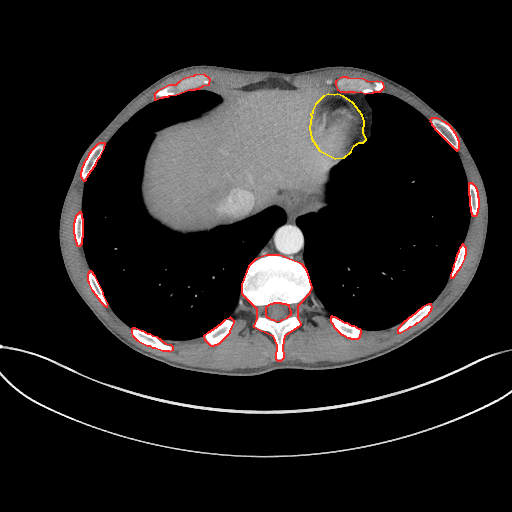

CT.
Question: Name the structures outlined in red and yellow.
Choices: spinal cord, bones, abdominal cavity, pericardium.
Answer: red: bones; yellow: pericardium.
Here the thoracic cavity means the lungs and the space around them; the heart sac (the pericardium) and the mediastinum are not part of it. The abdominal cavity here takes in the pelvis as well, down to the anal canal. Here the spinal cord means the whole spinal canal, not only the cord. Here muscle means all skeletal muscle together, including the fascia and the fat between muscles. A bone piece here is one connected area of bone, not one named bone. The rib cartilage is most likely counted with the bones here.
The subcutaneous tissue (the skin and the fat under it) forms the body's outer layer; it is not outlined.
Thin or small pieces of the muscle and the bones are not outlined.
The bones appear in 13 outlined pieces: piece 1: (277, 360) (281, 360) (284, 357) (283, 346) (285, 335) (301, 324) (298, 317) (298, 305) (310, 292) (312, 287) (307, 271) (302, 264) (279, 255) (266, 255) (255, 259) (248, 266) (241, 284) (241, 293) (256, 308) (256, 318) (253, 326) (272, 335) (276, 345) (275, 358), around a hole outlined by (276, 321) (281, 320) (282, 319) (287, 317) (290, 314) (291, 314) (291, 311) (290, 310) (289, 305) (287, 305) (286, 304) (282, 304) (281, 303) (273, 303) (272, 304) (270, 304) (265, 307) (265, 315) (267, 317) (268, 317) (271, 319) (273, 319); piece 2: (154, 99) (156, 99) (160, 97) (163, 97) (164, 96) (168, 96) (169, 95) (176, 94) (189, 89) (195, 89) (196, 88) (199, 88) (203, 85) (209, 84) (210, 79) (204, 74) (194, 75) (193, 76) (185, 78) (178, 82) (175, 85) (169, 85) (157, 91) (154, 94); piece 3: (365, 93) (373, 92) (374, 91) (380, 91) (384, 87) (383, 83) (381, 82) (377, 81) (369, 82) (363, 79) (348, 78) (347, 77) (342, 77) (335, 81) (335, 85) (337, 89) (340, 91) (344, 91) (345, 92) (347, 91) (353, 91) (354, 92) (360, 91); piece 4: (210, 345) (214, 345) (215, 344) (217, 344) (218, 343) (219, 343) (230, 332) (230, 330) (234, 323) (234, 321) (230, 317) (229, 318) (224, 320) (219, 325) (218, 325) (215, 328) (214, 328) (212, 330) (211, 330) (209, 332) (208, 332) (203, 336) (204, 339); piece 5: (456, 150) (457, 150) (459, 148) (459, 141) (458, 140) (458, 138) (457, 137) (456, 134) (454, 132) (454, 131) (451, 128) (451, 127) (448, 124) (447, 124) (445, 122) (444, 122) (437, 118) (431, 118) (429, 120) (430, 121) (431, 124) (434, 127) (434, 128); piece 6: (169, 351) (173, 349) (173, 347) (171, 345) (166, 344) (157, 337) (153, 336) (150, 334) (148, 334) (143, 331) (141, 331) (135, 328) (132, 328) (131, 329) (131, 333) (132, 335) (137, 340) (147, 345) (149, 345) (152, 347) (155, 347) (162, 350) (168, 350); piece 7: (83, 180) (85, 180) (86, 179) (87, 176) (96, 163) (98, 158) (100, 156) (104, 148) (105, 143) (99, 143) (97, 144) (90, 151) (90, 152) (88, 154) (86, 159) (83, 163) (83, 165) (81, 168) (81, 171) (80, 172) (80, 176); piece 8: (350, 338) (358, 338) (360, 336) (360, 334) (361, 333) (361, 330) (360, 329) (359, 329) (354, 326) (352, 326) (347, 323) (345, 323) (335, 317) (333, 317) (332, 316) (331, 316) (330, 317) (330, 321) (332, 323) (333, 326) (341, 334) (342, 334) (347, 337) (349, 337); piece 9: (397, 332) (400, 332) (408, 328) (410, 326) (415, 324) (417, 322) (421, 320) (425, 316) (426, 316) (431, 310) (431, 308) (432, 307) (431, 304) (428, 304) (422, 307) (410, 317) (409, 317) (405, 321) (404, 321) (397, 329); piece 10: (106, 306) (107, 306) (108, 304) (103, 294) (103, 292) (95, 276) (91, 271) (89, 271) (87, 274) (87, 280) (88, 281) (88, 283) (91, 289) (96, 295) (96, 296) (99, 299) (99, 300) (104, 305); piece 11: (472, 215) (476, 215) (477, 214) (477, 212) (478, 211) (478, 208) (479, 207) (479, 198) (478, 197) (478, 192) (477, 191) (477, 189) (476, 188) (476, 187) (472, 183) (468, 183) (468, 194) (469, 195) (469, 205) (470, 206) (470, 211) (471, 212) (471, 214); piece 12: (77, 245) (80, 245) (82, 243) (82, 237) (83, 236) (83, 219) (82, 218) (82, 214) (81, 213) (81, 212) (79, 212) (75, 216) (75, 218) (74, 219) (74, 222) (73, 223) (73, 233) (74, 234) (74, 238) (75, 239) (75, 241) (76, 242) (76, 244); piece 13: (450, 277) (453, 277) (455, 275) (455, 274) (461, 266) (465, 258) (465, 255) (466, 254) (466, 248) (463, 244) (462, 244) (459, 248) (458, 250) (458, 252) (456, 255) (456, 257) (455, 258) (455, 260) (453, 264) (453, 267) (452, 268) (452, 270) (450, 274). The pericardium is outlined by (335, 158) (344, 157) (351, 151) (354, 145) (359, 142) (363, 142) (366, 139) (363, 132) (364, 121) (362, 115) (353, 103) (343, 96) (337, 94) (334, 95) (328, 94) (323, 96) (315, 104) (312, 110) (312, 113) (310, 114) (311, 115) (309, 128) (311, 138) (319, 150). The thoracic cavity appears in 2 outlined pieces: piece 1: (367, 330) (384, 329) (402, 322) (437, 296) (449, 276) (470, 216) (467, 182) (456, 151) (417, 110) (399, 98) (381, 92) (366, 95) (373, 109) (371, 136) (354, 146) (332, 169) (327, 188) (328, 205) (317, 213) (296, 219) (305, 237) (304, 260) (312, 290) (330, 315); piece 2: (174, 340) (202, 336) (231, 315) (241, 295) (240, 284) (247, 266) (285, 221) (284, 211) (272, 206) (230, 225) (183, 235) (147, 214) (139, 186) (153, 134) (219, 103) (219, 95) (207, 89) (157, 99) (134, 114) (106, 144) (83, 193) (83, 246) (108, 303) (131, 327). The torso is outlined by (238, 377) (284, 368) (339, 368) (388, 353) (436, 323) (473, 279) (488, 227) (483, 179) (458, 130) (407, 87) (355, 66) (331, 65) (280, 72) (189, 65) (165, 74) (134, 96) (80, 157) (62, 203) (58, 224) (62, 261) (79, 296) (115, 337) (142, 355) (181, 370). The mediastinum appears in 2 outlined pieces: piece 1: (304, 265) (303, 260) (304, 237) (301, 230) (296, 224) (295, 219) (298, 215) (319, 211) (327, 205) (328, 203) (326, 197) (312, 201) (290, 202) (277, 205) (280, 206) (285, 211) (286, 221) (275, 230) (269, 240) (255, 258) (266, 254) (279, 254) (286, 257) (293, 258); piece 2: (367, 139) (369, 138) (370, 136) (370, 130) (372, 124) (372, 109) (365, 98) (365, 95) (366, 94) (363, 95) (346, 94) (345, 93) (338, 92) (336, 90) (332, 89) (330, 93) (333, 94) (337, 93) (347, 97) (354, 103) (362, 113) (365, 121) (365, 131) (364, 132). The spinal cord is outlined by (276, 321) (281, 320) (282, 319) (287, 317) (290, 314) (291, 314) (291, 311) (290, 310) (289, 305) (287, 305) (286, 304) (282, 304) (281, 303) (273, 303) (272, 304) (270, 304) (265, 307) (265, 315) (267, 317) (268, 317) (271, 319) (273, 319). The muscle appears in 2 outlined pieces: piece 1: (226, 370) (256, 368) (275, 361) (315, 363) (344, 361) (361, 357) (403, 339) (438, 314) (466, 282) (476, 261) (483, 231) (482, 188) (460, 140) (460, 148) (457, 152) (467, 181) (472, 182) (478, 189) (480, 207) (478, 214) (470, 217) (463, 243) (467, 248) (466, 258) (456, 275) (453, 278) (449, 277) (442, 291) (431, 303) (433, 306) (431, 312) (421, 321) (400, 333) (396, 332) (400, 323) (384, 330) (362, 330) (358, 339) (350, 339) (341, 335) (332, 326) (329, 314) (311, 291) (299, 305) (301, 326) (286, 335) (285, 357) (281, 361) (274, 358) (275, 345) (271, 335) (252, 326) (255, 308) (242, 296) (240, 298) (243, 299) (243, 305) (238, 308) (238, 304) (231, 316) (235, 321) (231, 332) (217, 345) (210, 346) (202, 337) (182, 341) (162, 340) (174, 347) (169, 352) (152, 348) (137, 341) (130, 333) (131, 328) (114, 313) (109, 305) (106, 307) (98, 300) (86, 280) (86, 274) (90, 269) (82, 244) (80, 246) (75, 244) (72, 233) (74, 216) (81, 211) (85, 181) (79, 176) (80, 168) (65, 208) (63, 243) (70, 270) (86, 298) (112, 328) (140, 348) (178, 363); piece 2: (91, 149) (99, 142) (106, 143) (117, 129) (124, 122) (127, 121) (134, 113) (149, 102) (154, 100) (153, 94) (157, 90) (166, 85) (175, 84) (185, 77) (199, 73) (204, 73) (211, 79) (209, 85) (200, 88) (208, 89) (227, 89) (233, 87) (240, 87) (270, 79) (281, 80) (296, 87) (326, 86) (336, 89) (334, 85) (334, 81) (342, 76) (363, 78) (369, 81) (377, 80) (383, 82) (385, 85) (385, 87) (381, 91) (382, 92) (389, 93) (399, 97) (417, 109) (428, 119) (431, 117) (437, 117) (441, 119) (408, 93) (377, 77) (361, 72) (349, 70) (329, 70) (314, 74) (298, 75) (293, 77) (287, 76) (279, 78) (271, 78) (268, 76) (242, 74) (213, 69) (194, 69) (167, 78) (138, 98) (112, 124). The abdominal cavity is outlined by (183, 234) (230, 224) (282, 202) (326, 196) (331, 169) (343, 158) (331, 158) (319, 151) (310, 138) (308, 124) (314, 104) (331, 89) (296, 88) (270, 80) (240, 88) (212, 90) (220, 95) (219, 104) (195, 118) (156, 131) (144, 160) (140, 186) (142, 200) (153, 219).